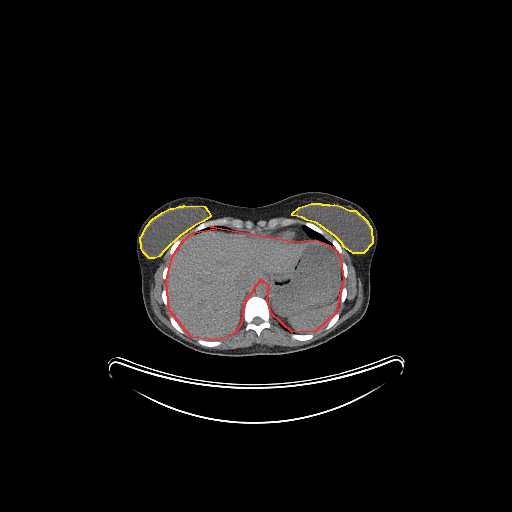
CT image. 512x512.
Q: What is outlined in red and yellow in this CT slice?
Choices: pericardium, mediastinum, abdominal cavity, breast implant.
A: red: abdominal cavity; yellow: breast implant.
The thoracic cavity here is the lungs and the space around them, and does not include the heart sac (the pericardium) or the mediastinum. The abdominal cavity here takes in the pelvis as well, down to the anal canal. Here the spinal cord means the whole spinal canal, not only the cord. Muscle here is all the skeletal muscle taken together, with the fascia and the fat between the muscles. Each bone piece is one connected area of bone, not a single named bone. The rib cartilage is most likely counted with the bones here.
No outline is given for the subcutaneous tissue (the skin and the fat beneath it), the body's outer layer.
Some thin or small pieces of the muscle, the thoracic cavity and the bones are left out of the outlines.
Outlined structures:
abdominal cavity: 210 226; 293 241; 315 239; 333 246; 339 254; 343 278; 335 313; 315 331; 292 332; 271 313; 267 300; 269 285; 260 279; 244 302; 240 325; 234 333; 217 340; 191 337; 169 310; 166 281; 172 256; 182 241; 193 232; 216 228
breast implant 1: 311 203; 320 203; 321 204; 328 204; 329 205; 334 204; 341 206; 349 210; 355 210; 366 220; 371 228; 372 243; 363 253; 353 253; 344 247; 341 242; 335 236; 320 225; 315 222; 307 220; 302 217; 292 215; 292 213; 299 207
breast implant 2: 184 205; 204 206; 208 211; 210 216; 203 221; 193 226; 179 236; 164 250; 159 256; 154 258; 149 258; 143 252; 141 248; 141 243; 140 242; 140 237; 143 233; 146 226; 152 219; 162 212; 170 208; 173 208; 178 206; 183 206
bones 1: 251 296; 260 296; 262 297; 267 301; 270 310; 270 314; 271 315; 269 320; 270 321; 270 327; 264 328; 261 331; 259 336; 257 335; 256 332; 253 329; 249 329; 248 330; 245 329; 246 323; 243 317; 244 314; 244 305; 246 300 with a hole at 255 317; 256 317; 257 317; 258 317; 259 317; 260 318; 261 319; 262 320; 262 321; 261 322; 260 323; 259 324; 258 324; 257 324; 256 324; 255 324; 254 323; 253 323; 253 322; 253 321; 253 320; 253 319; 254 318
bones 2: 219 218; 225 218; 229 221; 234 219; 239 219; 243 222; 248 221; 251 222; 253 225; 252 229; 254 232; 244 227; 241 229; 237 229; 225 225; 210 225; 197 231; 194 231; 193 230; 195 227; 199 224; 209 220; 214 220
bones 3: 273 218; 279 221; 281 221; 285 219; 291 219; 292 220; 291 221; 291 223; 289 225; 286 225; 285 226; 278 226; 273 229; 267 229; 265 228; 264 226; 260 226; 259 225; 259 223; 260 222; 261 223; 266 223; 270 219; 272 219
bones 4: 292 333; 295 333; 296 334; 308 334; 309 333; 312 333; 313 334; 313 337; 312 338; 311 338; 310 339; 308 339; 307 340; 298 340; 297 339; 294 339; 293 338; 292 338; 291 337; 291 334
bones 5: 197 340; 204 340; 205 341; 217 341; 218 340; 220 340; 221 341; 221 343; 220 344; 219 344; 218 345; 217 345; 216 346; 213 346; 212 347; 207 347; 206 346; 202 346; 201 345; 200 345; 197 342
bones 6: 303 222; 310 222; 311 223; 313 223; 315 225; 318 226; 324 232; 324 234; 323 235; 322 234; 319 233; 317 231; 316 231; 315 230; 314 230; 313 229; 312 229; 311 228; 310 228; 309 227; 308 227; 307 226; 302 224; 302 223
bones 7: 178 239; 180 239; 181 240; 181 242; 180 243; 179 246; 177 248; 177 249; 173 254; 172 254; 171 255; 170 254; 169 254; 168 251; 169 250; 170 247; 172 245; 172 244; 176 240; 177 240
bones 8: 336 313; 339 313; 339 317; 338 318; 338 319; 336 321; 336 322; 331 327; 330 327; 328 329; 325 329; 325 327; 326 326; 326 325; 328 323; 328 322; 331 319; 331 318
bones 9: 171 315; 172 316; 173 316; 173 317; 174 318; 175 321; 177 323; 177 324; 180 327; 180 328; 182 330; 182 331; 183 332; 184 332; 184 333; 181 333; 180 332; 179 332; 172 325; 172 324; 171 323; 171 322; 169 319; 169 317
bones 10: 332 239; 335 239; 339 243; 339 244; 341 246; 341 247; 342 248; 342 252; 340 254; 336 250; 336 249; 334 247; 334 246; 332 244; 332 243; 330 241
bones 11: 164 288; 166 288; 166 297; 167 298; 167 303; 168 304; 168 305; 165 305; 164 304; 164 303; 163 302; 163 300; 162 299; 162 297; 161 296; 161 294; 162 293; 162 291; 163 290; 163 289
bones 12: 343 287; 345 287; 346 288; 346 291; 347 292; 347 293; 346 294; 346 297; 345 298; 345 300; 343 302; 341 302; 340 301; 340 298; 341 297; 341 292; 342 291; 342 288
bones 13: 342 262; 344 262; 346 264; 346 266; 347 267; 347 276; 346 277; 346 278; 344 278; 343 277; 343 273; 342 272
bones 14: 166 266; 167 266; 168 267; 168 276; 167 277; 167 280; 164 280; 163 279; 163 277; 162 276; 162 273; 163 272; 163 269
spinal cord: 255 317; 256 317; 257 317; 258 317; 259 317; 260 318; 261 319; 262 320; 262 321; 261 322; 260 323; 259 324; 258 324; 257 324; 256 324; 255 324; 254 323; 253 323; 253 322; 253 321; 253 320; 253 319; 254 318
mediastinum 1: 260 280; 264 280; 266 282; 267 282; 267 284; 268 285; 268 288; 269 289; 269 293; 268 294; 268 296; 267 297; 267 299; 265 299; 262 296; 261 296; 260 295; 251 295; 247 299; 248 296; 251 293; 253 287
mediastinum 2: 290 225; 302 225; 302 229; 303 231; 308 236; 311 238; 313 238; 304 239; 304 234; 297 228; 286 228; 285 229; 279 230; 272 234; 266 234; 261 232; 266 230; 273 230; 277 228; 285 227
thoracic cavity: 303 225; 317 232; 319 234; 324 236; 325 238; 327 239; 331 243; 331 244; 327 242; 325 242; 324 241; 321 241; 318 239; 316 239; 308 235; 304 231; 303 229
torso: 308 191; 327 192; 358 204; 376 226; 378 239; 370 268; 370 299; 367 310; 359 321; 341 334; 309 349; 279 355; 237 357; 195 351; 155 327; 144 307; 136 255; 138 230; 151 212; 170 200; 184 196; 201 196; 228 204; 256 207
muscle 1: 319 226; 335 237; 340 242; 351 257; 356 276; 360 278; 362 284; 363 299; 360 308; 326 335; 302 345; 269 346; 254 344; 248 347; 233 349; 211 348; 220 345; 222 339; 228 338; 234 334; 240 328; 242 317; 245 323; 244 329; 246 331; 253 330; 259 337; 264 329; 271 327; 270 320; 272 315; 282 327; 291 332; 290 337; 298 341; 310 340; 314 337; 312 332; 315 332; 324 326; 324 329; 328 330; 337 322; 340 313; 336 311; 340 302; 343 303; 346 300; 348 293; 347 288; 343 284; 344 279; 348 276; 348 267; 344 261; 341 261; 340 255; 343 252; 343 248; 340 244; 340 243; 339 242; 335 238; 330 240; 326 238; 324 235; 325 232
muscle 2: 169 247; 167 252; 171 259; 169 265; 166 265; 161 273; 166 287; 162 289; 160 296; 163 304; 168 306; 170 313; 168 319; 171 325; 179 333; 185 333; 196 340; 199 345; 175 334; 156 316; 151 305; 150 290; 154 283; 154 274
muscle 3: 292 216; 294 216; 295 217; 299 217; 307 221; 309 221; 303 221; 301 223; 301 224; 291 224; 293 220; 291 218; 285 218; 281 220; 279 220; 275 218; 276 217; 288 217; 289 218
muscle 4: 242 220; 252 220; 253 221; 257 220; 268 220; 266 222; 261 222; 260 221; 258 223; 258 225; 260 227; 264 227; 266 229; 261 231; 260 227; 256 229; 257 231; 255 231; 253 229; 254 225; 251 221; 248 220; 247 221; 243 221
muscle 5: 193 227; 194 227; 194 228; 192 230; 193 231; 191 233; 190 233; 189 234; 189 235; 188 235; 183 240; 182 240; 180 238; 178 238; 179 237; 180 237; 183 234; 184 234; 186 232; 187 232; 190 229; 191 229
pericardium: 286 229; 297 229; 298 230; 299 230; 303 234; 303 239; 294 239; 293 240; 292 239; 287 239; 286 238; 281 238; 280 237; 278 237; 277 236; 275 236; 274 235; 272 235; 273 234; 274 234; 279 231; 281 231; 282 230; 285 230